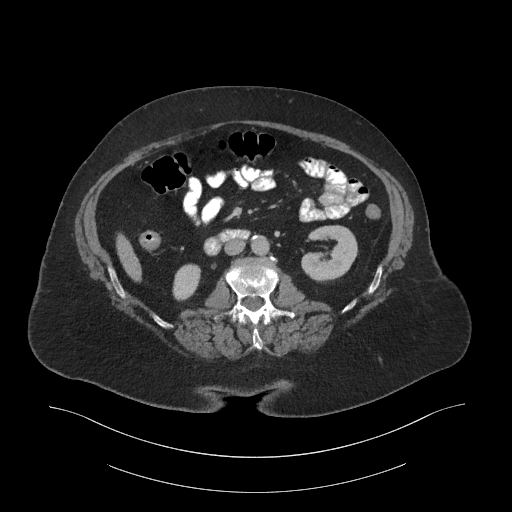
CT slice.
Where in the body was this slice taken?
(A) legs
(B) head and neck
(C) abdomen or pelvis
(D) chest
(C) abdomen or pelvis
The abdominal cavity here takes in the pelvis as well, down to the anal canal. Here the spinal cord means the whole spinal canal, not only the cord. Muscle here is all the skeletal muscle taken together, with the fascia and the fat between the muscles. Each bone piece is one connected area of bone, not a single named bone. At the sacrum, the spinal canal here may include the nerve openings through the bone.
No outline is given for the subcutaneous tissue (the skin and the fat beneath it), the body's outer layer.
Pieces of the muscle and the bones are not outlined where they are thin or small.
The spinal cord is outlined by 246,297 259,297 262,299 262,300 263,301 263,303 262,304 262,305 260,307 259,307 257,309 256,309 255,310 251,310 250,309 249,309 248,308 247,308 243,304 243,300 244,299 244,298 245,298. The muscle is outlined by 232,119 263,120 264,121 271,121 272,122 282,123 297,128 300,128 304,130 316,132 317,133 321,133 338,139 348,144 353,149 373,160 380,166 387,170 402,185 407,194 407,196 414,212 414,225 413,226 413,240 412,241 412,245 409,249 404,260 405,263 401,269 397,287 383,302 380,303 369,311 360,321 321,346 316,351 298,358 277,358 276,357 270,357 261,352 253,351 241,359 239,359 225,365 203,364 194,361 190,361 178,355 175,352 165,346 150,330 140,325 134,320 128,317 126,317 112,309 111,299 109,296 109,293 107,289 102,283 95,281 89,276 89,273 82,262 77,250 75,238 74,237 74,220 76,213 85,194 88,191 90,187 105,171 115,164 120,162 123,158 131,151 137,149 141,146 146,145 154,141 164,139 169,136 177,134 180,132 183,132 189,129 194,129 198,127 217,123 221,121 231,120, around a hole outlined by 230,124 281,130 348,154 381,180 389,200 391,231 379,261 382,273 377,288 369,294 366,287 353,308 341,313 323,301 306,298 278,267 271,302 295,315 280,315 268,324 260,321 261,349 253,346 250,321 234,322 225,314 236,294 223,273 204,305 182,310 169,329 157,324 153,310 127,290 125,298 120,297 96,225 100,194 118,173 162,149. The torso is outlined by 215,85 325,96 367,118 390,140 419,183 437,261 471,314 470,343 457,363 361,406 278,417 257,410 259,395 230,397 228,406 211,413 154,407 60,376 35,358 26,336 28,311 72,176 134,109 170,93. The bones appear in 5 outlined pieces: piece 1: 270,255 276,258 279,277 270,294 271,302 278,309 295,315 292,318 280,315 268,324 260,321 257,329 262,347 257,349 253,346 252,323 234,322 230,315 225,314 236,302 236,294 227,283 224,272 236,258, around a hole outlined by 246,297 259,297 262,299 262,300 263,301 263,303 262,304 262,305 260,307 259,307 257,309 256,309 255,310 251,310 250,309 249,309 248,308 247,308 243,304 243,300 244,299 244,298 245,298; piece 2: 108,260 110,260 111,261 111,263 113,267 115,269 115,271 117,274 118,280 125,291 125,293 126,294 125,298 122,298 120,297 116,293 114,289 113,284 110,279 110,277 109,276 109,274 107,270; piece 3: 380,262 381,262 382,263 382,273 381,274 381,277 380,278 380,281 379,282 379,285 377,287 377,288 371,294 369,294 367,291 367,290 368,289 368,287 374,276 374,273 376,270 376,268 377,267 378,264; piece 4: 152,311 155,312 158,315 159,315 162,318 163,318 165,320 166,320 167,321 170,322 174,326 173,327 173,328 170,328 169,329 165,329 164,328 161,327 158,324 157,324 154,321 154,320 151,315 151,312; piece 5: 355,297 356,297 357,298 357,301 356,302 356,303 355,304 355,305 353,307 353,308 352,309 351,309 350,310 349,310 348,311 347,311 346,312 345,312 344,313 341,313 341,310 353,298 354,298. The abdominal cavity is outlined by 230,124 273,128 321,143 359,160 381,180 391,221 387,249 367,287 341,309 306,298 292,277 277,266 272,254 234,258 215,282 204,305 186,308 172,321 120,282 97,231 96,207 102,190 118,173 145,157.